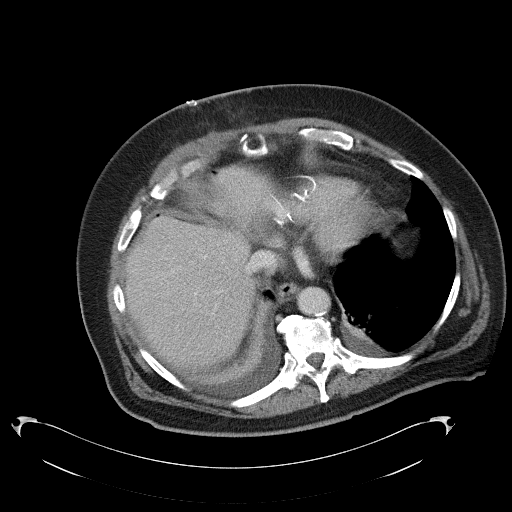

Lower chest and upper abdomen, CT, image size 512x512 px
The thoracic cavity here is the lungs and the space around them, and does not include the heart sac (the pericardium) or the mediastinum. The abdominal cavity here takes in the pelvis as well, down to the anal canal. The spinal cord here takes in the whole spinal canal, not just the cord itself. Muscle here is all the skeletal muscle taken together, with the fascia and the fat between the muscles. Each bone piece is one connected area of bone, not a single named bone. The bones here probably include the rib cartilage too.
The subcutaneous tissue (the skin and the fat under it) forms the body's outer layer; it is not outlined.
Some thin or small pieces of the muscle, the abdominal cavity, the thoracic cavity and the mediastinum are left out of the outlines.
The mediastinum appears in 2 outlined pieces: piece 1: 335,268 333,285 341,308 339,311 339,317 337,319 335,331 333,331 331,322 322,315 308,317 299,313 290,313 285,315 281,318 275,327 270,317 272,303 274,301 276,292 276,279 290,281 312,279 323,276; piece 2: 315,143 335,146 345,151 353,150 363,152 387,163 397,170 408,175 411,182 411,195 405,208 404,209 404,205 400,193 385,180 382,179 377,173 363,166 360,167 349,163 333,160 325,160 319,154 318,148. The pericardium is outlined by 326,161 349,164 360,168 363,167 377,174 382,180 399,193 403,205 402,217 392,227 372,235 351,247 343,256 343,260 323,275 300,280 276,278 283,254 281,239 283,222 292,207 313,184 325,174 328,167. The thoracic cavity appears in 2 outlined pieces: piece 1: 410,176 422,181 441,207 453,242 452,283 439,317 417,342 397,355 359,354 347,348 333,333 342,308 334,285 336,267 351,248 375,235 387,242 397,260 414,257 420,245 421,229 410,223 405,210 412,195; piece 2: 272,300 269,318 275,331 281,335 286,349 283,353 282,365 277,374 268,383 246,395 233,399 204,393 195,387 186,385 178,378 187,383 191,381 227,377 242,370 250,361 257,347 262,309 267,302. The torso is outlined by 277,83 339,85 375,95 423,125 470,172 494,214 504,255 505,312 494,350 485,372 471,380 448,381 409,393 318,428 255,437 201,436 157,429 116,403 82,321 75,256 86,200 112,154 152,118 205,96. The spinal cord is outlined by 313,353 322,353 323,354 323,359 322,360 322,361 321,362 321,363 320,364 320,365 318,367 315,367 313,365 312,365 311,364 310,364 307,361 307,358 311,354 312,354. The bones appear in 10 outlined pieces: piece 1: 290,314 322,316 333,335 359,355 413,352 415,356 400,365 359,368 353,374 333,367 325,382 329,400 324,403 315,382 304,375 293,389 282,387 250,405 231,407 230,401 260,389 278,374 287,348 276,326; inner edge: 313,353 322,353 323,354 323,359 322,360 322,361 321,362 321,363 320,364 320,365 318,367 315,367 313,365 312,365 311,364 310,364 307,361 307,358 311,354 312,354; piece 2: 201,157 205,158 207,162 202,167 196,169 184,179 181,177 181,175 179,173 178,179 173,184 172,189 163,200 158,200 149,196 148,194 153,186 159,182 172,167 174,166 178,170 181,165 184,163; piece 3: 306,127 315,127 316,128 332,129 333,130 343,131 351,135 353,137 354,139 354,146 349,150 345,150 331,144 325,144 320,142 315,142 314,141 309,141 308,140 305,141 301,139 297,135 297,132 300,129; piece 4: 245,133 261,133 264,136 265,140 266,141 266,144 268,148 268,152 267,154 265,155 260,155 259,156 255,156 254,155 252,155 251,156 246,156 243,153 242,153 241,151 241,148 238,144 238,141 240,137; piece 5: 139,205 141,206 141,212 142,213 139,225 137,227 135,232 133,234 125,250 124,251 120,252 118,251 118,249 117,248 117,244 118,243 118,240 119,239 119,237 120,236 122,228 124,224 127,221 132,211; piece 6: 140,347 145,349 148,352 149,352 149,353 156,360 157,360 166,369 173,374 181,382 188,387 189,389 188,390 184,390 181,388 179,388 177,386 170,383 167,380 159,375 142,357 138,350; piece 7: 456,272 459,272 460,274 460,285 459,286 459,290 458,291 457,297 455,300 453,307 450,311 448,316 444,322 435,332 433,331 433,326 441,315 441,313 449,295 449,293 453,283 453,280 455,276 455,273; piece 8: 388,158 397,158 398,159 405,159 406,160 409,161 415,166 416,166 422,172 422,173 423,174 423,179 422,180 421,180 415,176 413,176 412,175 409,175 408,174 397,169 395,167 392,166 387,162 387,159; piece 9: 443,206 446,206 448,207 452,211 454,215 454,219 455,220 455,224 456,225 456,234 457,235 456,237 456,240 455,241 453,241 452,237 450,234 450,232 449,231 449,229 443,213 443,210 442,209 442,207; piece 10: 117,283 120,285 121,289 122,290 122,292 123,293 123,297 124,298 124,301 125,302 125,311 124,312 120,312 118,310 117,307 115,305 115,303 113,299 113,294 112,293 112,291 113,290 113,287 114,285. The muscle appears in 3 outlined pieces: piece 1: 293,117 318,117 345,124 409,160 388,157 386,162 354,150 354,137 339,129 306,126 296,132 298,137 268,145 261,132 245,132 237,141 240,150 228,149 205,166 208,161 203,156 184,162 178,169 172,166 148,192 149,197 161,201 136,232 142,206 139,204 131,211 116,244 120,253 127,248 123,292 117,282 111,293 117,310 127,314 145,348 137,349 141,357 179,389 188,391 189,386 210,396 230,398 229,407 242,408 282,388 293,390 306,376 316,385 321,403 270,417 241,418 140,398 125,378 106,297 107,264 122,216 154,166 172,148 210,131; piece 2: 414,164 453,201 476,249 490,290 487,324 464,349 347,397 330,399 326,382 333,368 353,375 359,369 384,369 409,362 416,354 402,353 432,328 435,333 458,297 461,274 456,271 455,215 448,206 441,206; piece 3: 179,174 180,175 180,177 183,180 184,180 183,180 180,183 179,183 175,187 175,188 170,193 170,192 173,189 173,188 174,187 174,184 179,179. The abdominal cavity appears in 2 outlined pieces: piece 1: 297,138 313,142 327,167 291,207 282,222 282,254 275,277 275,292 273,301 267,301 261,309 256,347 239,371 187,382 146,349 126,313 126,252 155,207 179,184 224,152 239,150 246,157 265,156 272,143; piece 2: 404,210 407,216 407,219 409,223 412,226 415,226 420,229 420,239 419,240 419,245 413,257 405,260 399,260 394,257 392,254 388,242 382,239 380,236 377,234 381,233 390,228 392,228 403,217.